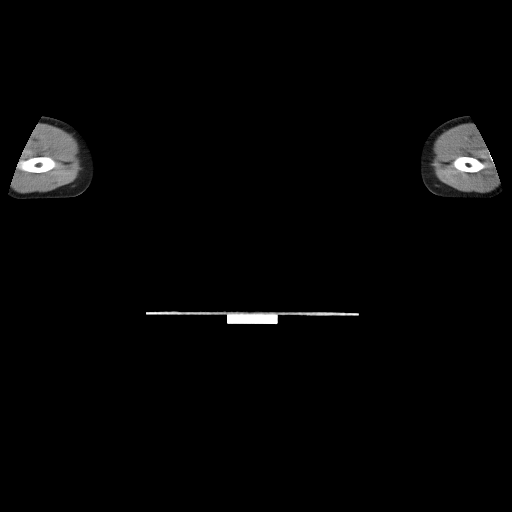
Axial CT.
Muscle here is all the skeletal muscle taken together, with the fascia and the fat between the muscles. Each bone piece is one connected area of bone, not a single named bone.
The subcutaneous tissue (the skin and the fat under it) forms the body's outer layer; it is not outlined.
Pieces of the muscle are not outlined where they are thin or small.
Outlines:
left arm: [[463,115],[468,115],[471,118],[492,159],[493,165],[495,168],[502,190],[499,194],[493,197],[489,198],[463,198],[462,197],[438,196],[429,191],[422,181],[420,175],[419,157],[420,156],[420,150],[424,140],[428,134],[441,123],[454,117]]
bones 1: [[39,156],[47,156],[48,157],[50,157],[55,161],[56,163],[56,165],[53,168],[47,171],[44,171],[43,172],[30,172],[29,171],[25,171],[24,170],[19,169],[16,166],[18,162],[20,160],[27,159],[31,157],[38,157]]
bones 2: [[459,156],[468,156],[469,157],[473,157],[474,158],[476,158],[482,162],[485,163],[486,164],[486,167],[478,171],[475,171],[474,172],[472,172],[471,171],[462,171],[461,170],[459,170],[456,168],[453,164],[453,162],[455,159]]
muscle 1: [[38,123],[47,123],[71,133],[77,141],[77,143],[82,148],[83,168],[80,176],[75,183],[70,187],[59,192],[18,193],[14,191],[11,186],[16,167],[19,170],[25,172],[43,173],[53,169],[57,165],[56,161],[47,155],[31,156],[20,159]]
muscle 2: [[462,123],[470,123],[471,124],[473,123],[475,125],[487,148],[489,155],[492,159],[493,165],[500,182],[493,190],[489,192],[484,193],[463,192],[457,190],[439,181],[433,172],[433,168],[430,164],[431,162],[430,161],[430,152],[436,138],[443,131]]; inner edge: [[459,156],[468,156],[469,157],[473,157],[474,158],[476,158],[482,162],[485,163],[486,164],[486,167],[478,171],[475,171],[474,172],[472,172],[471,171],[462,171],[461,170],[459,170],[456,168],[453,164],[453,162],[455,159]]
right arm: [[42,116],[49,116],[57,118],[71,124],[81,132],[91,147],[95,162],[94,175],[89,186],[82,193],[77,196],[68,197],[67,198],[33,198],[32,199],[17,199],[9,196],[9,190],[12,184],[14,174],[16,171],[16,166],[32,133]]